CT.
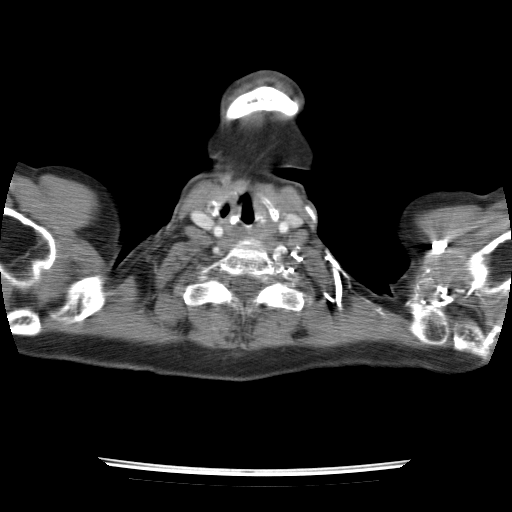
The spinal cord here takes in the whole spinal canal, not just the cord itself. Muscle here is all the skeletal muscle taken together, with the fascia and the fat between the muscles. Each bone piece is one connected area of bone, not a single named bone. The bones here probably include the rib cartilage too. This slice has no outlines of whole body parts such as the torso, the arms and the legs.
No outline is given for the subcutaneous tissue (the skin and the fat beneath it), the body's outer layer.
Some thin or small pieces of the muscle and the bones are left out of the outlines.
central area in front of the spine: 242 190; 248 190; 259 196; 272 222; 278 222; 280 216; 293 214; 299 219; 300 224; 285 235; 276 234; 261 241; 251 236; 242 239; 227 236; 216 237; 196 224; 190 217; 191 213; 193 211; 210 212; 213 217; 219 217; 224 202
bones 1: 251 237; 261 242; 273 263; 277 278; 287 285; 304 292; 306 301; 301 310; 294 311; 260 305; 251 313; 242 315; 226 304; 204 303; 200 305; 187 305; 182 297; 184 287; 187 284; 198 282; 202 268; 225 256; 239 240 with a hole at 242 276; 246 276; 256 281; 260 285; 260 288; 257 294; 247 303; 242 303; 240 302; 239 299; 233 294; 233 293; 231 291; 231 290; 228 286; 230 284; 230 282; 232 280; 232 278; 234 277; 241 277
bones 2: 5 206; 14 209; 37 224; 43 226; 49 231; 55 241; 56 257; 53 264; 49 269; 42 272; 41 278; 39 281; 29 287; 20 288; 12 285; 5 280; 1 281; 0 279; 0 238; 3 231; 3 218; 4 217; 3 213
bones 3: 508 230; 511 230; 511 283; 510 284; 509 291; 505 293; 500 293; 499 294; 486 294; 485 293; 480 292; 476 289; 470 280; 470 274; 467 268; 467 264; 468 263; 470 255; 472 253; 480 249; 494 238; 499 236; 502 233
bones 4: 263 85; 272 86; 285 93; 291 99; 297 101; 299 104; 299 109; 294 116; 289 118; 284 115; 284 114; 280 111; 276 111; 275 110; 272 111; 257 110; 236 119; 227 120; 225 118; 225 112; 227 107; 236 97; 258 86; 262 86
bones 5: 94 275; 97 275; 101 277; 101 281; 104 291; 104 297; 106 299; 103 306; 98 311; 86 317; 81 321; 68 322; 66 320; 60 320; 54 318; 52 316; 52 314; 57 312; 66 301; 66 294; 69 286; 73 282; 75 282; 84 277
bones 6: 433 306; 441 307; 442 308; 448 317; 449 323; 451 327; 450 328; 450 332; 446 341; 442 344; 428 344; 427 343; 424 343; 413 335; 408 329; 408 326; 412 319; 412 312; 414 312; 417 310; 424 309; 425 308; 429 308
bones 7: 467 322; 476 322; 480 326; 483 335; 487 342; 490 345; 490 348; 491 349; 491 355; 488 360; 483 359; 481 357; 468 351; 458 351; 455 350; 453 348; 453 335; 455 334; 454 326; 456 324; 459 324; 460 323; 464 324
bones 8: 18 308; 28 308; 32 311; 37 313; 39 317; 39 320; 41 325; 41 330; 38 334; 33 336; 26 336; 25 335; 16 335; 12 333; 10 329; 10 326; 9 325; 9 322; 7 317; 7 313; 10 311; 12 311
bones 9: 261 195; 262 196; 264 196; 268 198; 271 201; 273 205; 279 211; 279 218; 278 219; 278 221; 276 222; 274 222; 272 221; 269 215; 269 213; 268 212; 268 210; 267 208; 264 205; 264 204; 262 203; 260 199; 260 196
bones 10: 212 200; 214 200; 215 201; 224 201; 223 202; 223 203; 221 205; 221 206; 220 207; 220 208; 219 209; 219 216; 213 216; 212 215; 212 214; 211 213; 211 211; 209 209; 209 208; 208 207; 208 205; 209 204; 209 203
muscle 1: 14 171; 95 190; 101 208; 90 232; 114 270; 170 225; 202 179; 290 184; 316 213; 317 235; 342 269; 380 296; 404 282; 420 256; 412 251; 415 212; 505 201; 509 229; 466 264; 477 291; 508 293; 497 341; 492 352; 476 321; 456 323; 452 348; 485 360; 474 364; 385 343; 319 353; 19 336; 38 335; 40 317; 28 307; 7 312; 1 282; 33 286; 57 246; 48 229; 6 205, around holes outlined by 242 190; 268 198; 281 217; 293 214; 300 221; 285 235; 261 240; 277 278; 304 292; 300 311; 260 305; 242 315; 226 304; 184 302; 184 287; 198 282; 202 268; 239 240; 216 237; 196 224; 191 213; 210 212; 212 200; 227 201 and by 94 275; 97 275; 101 277; 101 281; 104 291; 104 297; 106 299; 103 306; 98 311; 86 317; 81 321; 68 322; 66 320; 60 320; 54 318; 52 316; 52 314; 57 312; 66 301; 66 294; 69 286; 73 282; 75 282; 84 277 and by 433 306; 441 307; 442 308; 448 317; 449 323; 451 327; 450 328; 450 332; 446 341; 442 344; 428 344; 427 343; 424 343; 413 335; 408 329; 408 326; 412 319; 412 312; 414 312; 417 310; 424 309; 425 308; 429 308
muscle 2: 257 111; 267 111; 268 112; 275 111; 276 112; 280 112; 284 116; 288 118; 287 121; 284 124; 282 125; 267 125; 262 130; 249 130; 248 129; 244 130; 231 130; 228 127; 227 125; 228 121; 232 121; 242 118; 253 112
muscle 3: 260 75; 273 75; 286 81; 291 86; 294 93; 297 96; 298 100; 291 98; 285 92; 272 85; 263 84; 262 85; 258 85; 245 92; 239 94; 236 96; 227 106; 226 106; 227 98; 235 88; 239 86; 243 82; 248 81; 252 78
spinal cord: 242 276; 246 276; 256 281; 260 285; 260 288; 257 294; 247 303; 242 303; 240 302; 239 299; 233 294; 233 293; 231 291; 231 290; 228 286; 230 284; 230 282; 232 280; 232 278; 234 277; 241 277